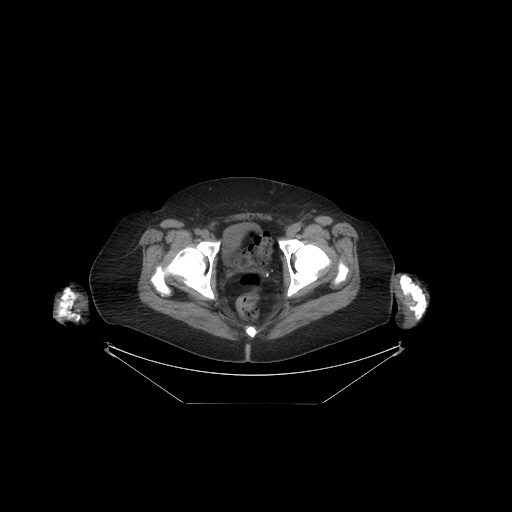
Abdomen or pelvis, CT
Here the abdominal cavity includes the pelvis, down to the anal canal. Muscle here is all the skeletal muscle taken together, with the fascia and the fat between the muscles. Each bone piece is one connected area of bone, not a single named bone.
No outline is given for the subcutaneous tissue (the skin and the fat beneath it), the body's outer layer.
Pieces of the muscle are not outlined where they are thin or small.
Outlines (x, y in pixels):
muscle 1: 312,211 346,221 358,234 356,248 360,287 355,298 345,307 282,337 270,340 255,337 259,332 255,326 266,319 282,297 282,254 289,275 285,293 288,298 317,280 320,271 332,264 331,258 318,245 296,237 281,238 283,227 274,220 263,219 220,222 215,226 216,240 203,239 194,245 186,245 166,265 157,264 149,278 162,297 171,293 166,277 177,276 204,298 214,300 211,276 217,256 218,296 240,322 249,324 244,331 251,338 231,340 212,335 158,312 139,299 137,285 142,257 138,242 153,223 165,218 179,218 205,225 214,218 243,212 293,218 with a hole at 339,260 342,260 344,262 344,263 348,267 349,270 347,273 347,275 346,276 346,278 345,279 345,280 344,281 339,283 337,285 335,285 333,283 333,280 334,279 334,278 337,273 337,264 338,263
muscle 2: 397,275 400,275 398,282 402,291 402,293 404,295 410,295 412,300 414,301 414,304 413,305 410,305 408,308 412,311 413,317 416,321 409,325 404,325 403,323 404,315 403,314 402,304 395,293 395,276
muscle 3: 73,290 75,291 77,291 80,293 82,292 86,299 86,306 85,307 84,314 81,318 81,319 80,319 81,317 78,313 75,313 72,311 72,307 74,304 74,302 75,300 77,298 76,296 76,293
muscle 4: 413,280 416,280 417,281 418,281 420,283 421,286 422,287 423,287 425,289 425,290 426,291 426,298 426,295 424,293 424,292 423,291 422,288 417,283 414,282 413,281
right arm: 70,280 76,281 81,284 85,289 88,296 88,302 89,303 89,307 91,311 91,316 88,324 86,326 84,326 83,327 73,327 71,328 70,327 62,325 58,323 55,320 52,314 52,301 56,291 61,285
bones 1: 203,240 220,241 219,250 213,259 210,276 210,287 214,294 214,299 204,297 186,285 182,281 182,278 177,275 165,277 165,282 170,288 170,293 162,296 150,281 156,266 166,266 179,250 186,246 194,246
bones 2: 280,238 281,239 296,238 299,240 303,240 308,243 313,243 321,248 331,260 331,264 329,266 319,271 319,276 317,279 304,286 290,297 288,297 286,295 287,289 290,283 290,275 286,258 278,244 278,240
bones 3: 403,274 409,276 412,281 421,288 423,293 425,295 427,303 426,308 421,317 418,320 415,319 413,311 409,308 410,306 413,306 415,304 415,301 413,300 412,296 410,294 404,294 403,293 399,282 400,277
bones 4: 66,287 69,287 75,293 76,298 74,300 71,307 71,311 75,314 78,314 80,317 77,321 74,321 72,319 70,320 67,319 65,316 62,316 58,319 56,318 55,316 58,312 60,297 63,290
bones 5: 339,260 342,260 344,262 344,263 348,267 349,270 347,273 347,275 346,276 346,278 345,279 345,280 344,281 339,283 337,285 335,285 333,283 333,280 334,279 334,278 337,273 337,264 338,263
bones 6: 247,325 253,325 258,330 258,332 255,335 255,336 254,337 251,337 250,336 249,336 246,333 246,332 245,331 245,327
abdominal cavity: 237,220 274,221 283,229 283,234 277,240 278,247 282,252 280,255 283,283 281,297 265,319 255,325 240,321 236,317 226,302 219,296 217,286 217,254 220,250 221,241 215,233 216,226 222,222 227,223
left arm: 395,269 397,271 406,271 419,276 428,284 430,289 430,302 429,303 427,314 424,320 420,324 408,329 401,329 399,328 396,325 394,318 394,314 397,311 397,303 395,300 394,301 394,287 393,286 393,275
torso: 229,176 254,176 299,186 326,196 351,214 368,219 380,232 394,260 393,317 385,324 357,336 295,358 271,363 212,360 133,329 105,322 94,305 88,277 93,260 120,219 140,207 157,207 170,195 187,186